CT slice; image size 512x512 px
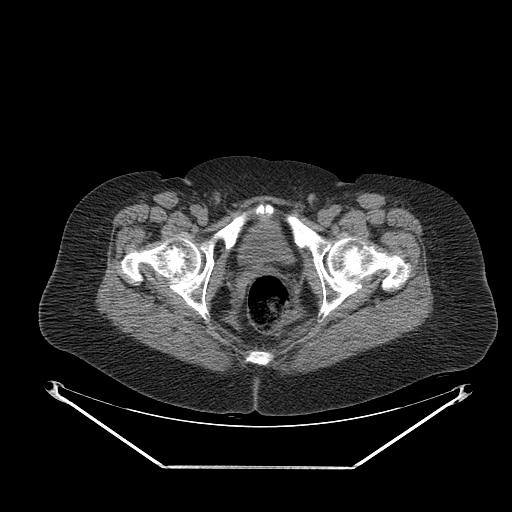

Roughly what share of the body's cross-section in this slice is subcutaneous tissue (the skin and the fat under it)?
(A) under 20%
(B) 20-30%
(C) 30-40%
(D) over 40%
(D) over 40%
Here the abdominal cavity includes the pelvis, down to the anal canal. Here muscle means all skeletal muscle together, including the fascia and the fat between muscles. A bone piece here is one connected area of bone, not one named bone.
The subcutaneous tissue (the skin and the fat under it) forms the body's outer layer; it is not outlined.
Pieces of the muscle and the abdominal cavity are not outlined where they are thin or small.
The muscle is outlined by (162, 190) (179, 192) (186, 200) (197, 225) (202, 228) (225, 215) (232, 203) (258, 195) (299, 201) (304, 205) (304, 213) (308, 217) (322, 223) (330, 223) (342, 211) (345, 202) (360, 192) (397, 198) (414, 211) (422, 226) (427, 271) (434, 300) (431, 317) (417, 330) (388, 343) (332, 365) (295, 375) (281, 375) (275, 369) (255, 365) (234, 372) (212, 371) (143, 344) (121, 332) (102, 317) (94, 301) (106, 269) (111, 221) (115, 214) (138, 198), around holes outlined by (266, 202) (333, 241) (353, 236) (399, 256) (409, 277) (387, 291) (387, 270) (368, 274) (318, 322) (321, 281) (311, 252) (298, 246) (294, 304) (265, 337) (240, 327) (222, 240) (206, 287) (208, 322) (149, 264) (131, 283) (120, 266) (126, 253) (181, 234) (199, 244) and by (305, 282) (308, 287) (311, 290) (311, 293) (315, 299) (314, 301) (315, 311) (309, 318) (308, 318) (302, 323) (300, 323) (291, 330) (291, 327) (295, 323) (300, 321) (306, 314) (305, 313) (305, 311) (302, 308) (302, 303) (301, 302) (301, 289) (304, 286) and by (220, 288) (225, 289) (228, 298) (230, 300) (230, 304) (231, 305) (230, 309) (228, 311) (223, 312) (221, 315) (221, 320) (223, 326) (221, 325) (215, 318) (213, 312) (213, 305) (214, 304) (214, 301) (213, 300) (216, 296) (217, 291) and by (250, 350) (259, 350) (260, 351) (267, 351) (268, 352) (270, 352) (272, 354) (273, 354) (274, 357) (273, 358) (273, 359) (271, 361) (270, 361) (266, 365) (260, 365) (259, 364) (257, 364) (256, 363) (251, 363) (250, 362) (245, 362) (245, 357) (248, 354) (248, 352). The bones appear in 3 outlined pieces: piece 1: (286, 213) (294, 214) (305, 225) (333, 241) (353, 236) (379, 252) (399, 256) (411, 266) (409, 277) (398, 289) (387, 291) (381, 287) (387, 270) (379, 269) (368, 274) (361, 280) (361, 288) (318, 322) (317, 314) (323, 301) (321, 281) (311, 252) (294, 242) (284, 219); piece 2: (261, 203) (274, 207) (272, 214) (252, 214) (230, 249) (225, 248) (222, 240) (216, 243) (214, 265) (205, 294) (208, 322) (149, 264) (141, 262) (138, 265) (143, 277) (138, 284) (131, 283) (121, 270) (120, 261) (130, 251) (150, 249) (181, 234) (199, 244) (235, 216); piece 3: (250, 350) (259, 350) (260, 351) (267, 351) (268, 352) (270, 352) (272, 354) (273, 354) (274, 357) (273, 358) (273, 359) (271, 361) (270, 361) (266, 365) (260, 365) (259, 364) (257, 364) (256, 363) (251, 363) (250, 362) (245, 362) (245, 357) (248, 354) (248, 352). The abdominal cavity is outlined by (266, 202) (290, 208) (283, 214) (283, 219) (297, 246) (302, 268) (291, 312) (278, 324) (277, 329) (271, 335) (254, 337) (248, 335) (240, 327) (234, 294) (226, 275) (226, 267) (230, 252) (243, 226) (251, 216) (263, 214) (270, 216) (276, 211) (274, 206). The torso is outlined by (230, 155) (301, 161) (345, 182) (361, 173) (397, 175) (453, 196) (476, 230) (497, 312) (496, 337) (484, 357) (466, 369) (432, 375) (351, 406) (266, 416) (164, 403) (51, 345) (39, 329) (38, 304) (64, 225) (80, 199) (117, 175) (156, 170) (182, 177) (204, 161).